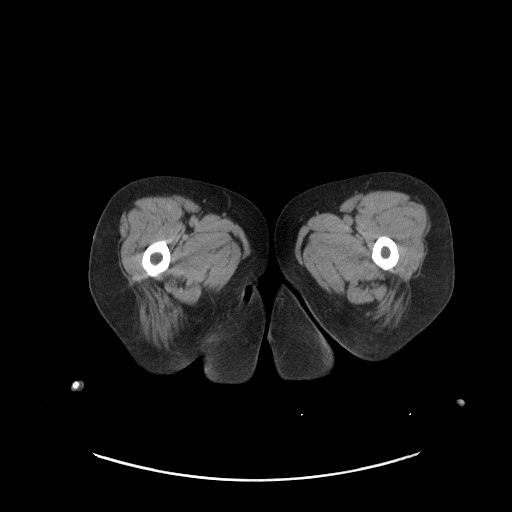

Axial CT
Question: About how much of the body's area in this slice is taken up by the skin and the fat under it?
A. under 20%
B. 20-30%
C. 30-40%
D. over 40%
Answer: D. over 40%
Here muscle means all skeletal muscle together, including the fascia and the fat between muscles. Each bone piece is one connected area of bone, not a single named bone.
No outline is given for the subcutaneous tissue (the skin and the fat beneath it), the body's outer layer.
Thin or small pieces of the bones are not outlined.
The right leg is outlined by [[152,175],[183,176],[223,186],[252,201],[266,220],[270,261],[258,285],[265,303],[266,333],[261,342],[255,374],[246,383],[212,383],[204,377],[199,361],[167,376],[146,372],[134,361],[92,298],[88,286],[88,261],[98,219],[110,197],[120,187]]. The left leg is outlined by [[387,170],[407,173],[423,180],[442,199],[453,238],[455,279],[452,295],[429,326],[389,359],[379,362],[361,359],[326,334],[336,356],[335,370],[313,381],[285,381],[276,373],[266,338],[274,296],[282,280],[274,246],[277,218],[292,198],[309,188]]. The bones appear in 2 outlined pieces: piece 1: [[158,240],[165,240],[168,246],[168,248],[170,251],[170,262],[167,269],[166,269],[163,272],[160,273],[155,277],[154,276],[150,276],[146,273],[145,270],[142,267],[142,265],[141,264],[141,259],[142,258],[142,253],[144,251],[144,250],[151,243]]; piece 2: [[379,236],[388,236],[390,238],[391,238],[396,243],[397,245],[397,250],[399,254],[398,260],[396,264],[393,267],[390,267],[387,270],[384,270],[379,266],[378,266],[373,261],[371,257],[371,253],[372,252],[372,247],[373,246],[373,244],[376,239]]. The right arm is outlined by [[77,380],[82,380],[83,381],[83,383],[84,384],[84,386],[83,387],[83,389],[81,391],[72,391],[71,390],[71,388],[72,387],[72,384],[74,382],[75,382]]. The left arm is outlined by [[456,399],[457,399],[458,399],[459,399],[459,400],[459,401],[458,402],[459,403],[458,403],[457,403],[456,402],[456,401],[456,400]]. The muscle appears in 2 outlined pieces: piece 1: [[364,189],[404,189],[418,195],[426,204],[429,214],[430,228],[425,237],[427,253],[419,275],[410,281],[412,300],[409,311],[400,326],[389,333],[376,333],[364,325],[324,291],[311,275],[300,267],[295,258],[296,242],[303,222],[310,215],[337,200]] with a hole at [[379,236],[388,236],[390,238],[391,238],[396,243],[397,245],[397,250],[399,254],[398,260],[396,264],[393,267],[390,267],[387,270],[384,270],[379,266],[378,266],[373,261],[371,257],[371,253],[372,252],[372,247],[373,246],[373,244],[376,239]]; piece 2: [[156,193],[177,193],[186,196],[202,206],[229,216],[244,229],[252,248],[250,256],[237,267],[223,290],[199,300],[191,311],[178,344],[172,352],[152,349],[140,335],[137,306],[128,281],[120,269],[117,253],[119,239],[118,220],[123,208],[133,199]], around a hole outlined by [[158,240],[165,240],[168,246],[168,248],[170,251],[170,262],[167,269],[166,269],[163,272],[160,273],[155,277],[154,276],[150,276],[146,273],[145,270],[142,267],[142,265],[141,264],[141,259],[142,258],[142,253],[144,251],[144,250],[151,243]].